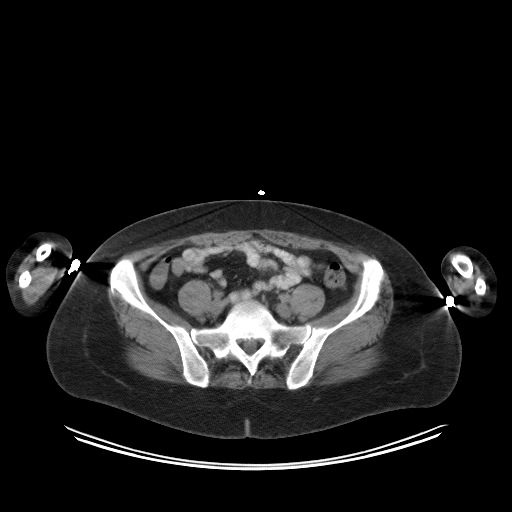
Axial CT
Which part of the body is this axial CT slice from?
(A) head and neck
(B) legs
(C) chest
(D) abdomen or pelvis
Answer: (D) abdomen or pelvis
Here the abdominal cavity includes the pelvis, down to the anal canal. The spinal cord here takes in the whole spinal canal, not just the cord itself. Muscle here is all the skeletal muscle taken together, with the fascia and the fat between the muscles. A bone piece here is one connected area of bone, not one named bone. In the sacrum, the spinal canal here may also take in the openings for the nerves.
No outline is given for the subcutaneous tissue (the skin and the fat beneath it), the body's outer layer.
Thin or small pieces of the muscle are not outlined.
The spinal cord is outlined by [[238,339],[240,340],[245,340],[246,341],[247,340],[258,340],[259,339],[262,339],[263,340],[263,343],[262,345],[260,346],[253,353],[251,354],[248,354],[243,349],[243,348],[241,347],[238,344],[237,342],[237,340]]. The torso is outlined by [[220,199],[315,205],[372,224],[402,243],[436,285],[441,296],[433,302],[447,309],[460,334],[461,366],[450,395],[435,406],[387,411],[301,435],[225,439],[175,429],[65,392],[47,364],[46,334],[78,272],[91,271],[88,257],[106,238],[137,220]]. The right arm is outlined by [[37,231],[56,231],[63,234],[71,243],[72,254],[70,257],[67,258],[62,257],[59,261],[59,265],[65,267],[65,272],[63,274],[57,291],[45,312],[35,318],[28,319],[21,316],[14,309],[11,303],[6,285],[5,268],[13,251],[30,234]]. The muscle appears in 7 outlined pieces: piece 1: [[246,229],[295,232],[356,246],[377,258],[369,256],[362,260],[358,295],[347,314],[331,326],[313,326],[300,321],[292,310],[289,302],[292,290],[306,283],[322,289],[325,301],[316,317],[345,303],[354,291],[356,275],[332,251],[284,246],[255,233],[235,242],[174,247],[150,263],[141,277],[146,294],[185,319],[192,326],[188,330],[182,325],[170,324],[152,308],[140,289],[134,261],[120,257],[170,239],[208,231]]; piece 2: [[383,266],[393,288],[394,306],[388,325],[383,332],[383,336],[379,339],[381,343],[380,349],[383,358],[382,360],[366,375],[339,383],[300,388],[306,386],[313,377],[318,356],[327,338],[341,327],[361,317],[375,305],[380,297],[382,283],[385,279]]; piece 3: [[108,276],[109,292],[112,296],[117,297],[130,306],[150,315],[171,334],[179,351],[182,366],[181,374],[185,381],[191,385],[183,385],[147,377],[132,369],[126,362],[124,355],[125,339],[116,323],[112,308],[107,298],[106,288],[108,284]]; piece 4: [[294,346],[300,347],[290,362],[285,375],[284,381],[287,389],[255,389],[251,387],[232,389],[208,386],[211,374],[208,363],[199,350],[199,348],[206,348],[217,359],[231,357],[241,363],[249,374],[246,381],[249,385],[259,363],[263,359],[282,358]]; piece 5: [[45,240],[53,240],[54,241],[60,242],[63,244],[63,248],[62,249],[62,252],[61,253],[61,256],[60,257],[60,260],[59,261],[59,265],[58,266],[58,274],[55,281],[50,285],[50,286],[47,289],[45,293],[33,305],[28,307],[24,304],[20,296],[20,294],[14,289],[14,287],[13,286],[14,276],[15,275],[15,273],[18,266],[23,260],[23,259],[42,241],[44,241]], around holes outlined by [[44,242],[49,242],[52,244],[52,247],[51,248],[51,252],[50,253],[50,254],[43,260],[42,260],[41,261],[37,261],[36,260],[36,256],[35,255],[35,254],[36,253],[36,250],[37,249],[38,246],[39,246],[42,243],[43,243]] and by [[24,270],[28,270],[29,271],[29,272],[30,273],[30,275],[31,276],[31,280],[30,281],[29,284],[26,287],[25,287],[24,288],[21,288],[20,287],[19,287],[19,284],[18,283],[18,280],[19,279],[19,276],[20,275],[20,274]]; piece 6: [[193,279],[203,280],[205,281],[210,287],[211,287],[211,300],[210,301],[210,308],[209,310],[207,312],[206,312],[203,315],[203,316],[201,317],[195,317],[194,316],[190,315],[180,306],[178,302],[178,291],[179,289],[186,282],[190,280],[192,280]]; piece 7: [[456,251],[463,252],[455,252],[451,255],[449,259],[451,265],[455,270],[462,277],[466,279],[472,278],[474,273],[473,261],[479,266],[479,268],[485,275],[486,282],[489,286],[489,295],[475,309],[471,308],[460,295],[448,272],[449,255],[452,252]]; inner edge: [[477,277],[481,277],[485,281],[485,283],[486,284],[486,289],[485,290],[485,293],[484,294],[484,295],[478,295],[476,293],[476,292],[475,291],[475,280],[476,279],[476,278]]. The left arm is outlined by [[457,245],[467,245],[481,251],[489,260],[495,271],[497,277],[497,298],[492,311],[483,319],[479,320],[471,319],[460,311],[458,308],[458,305],[465,304],[466,302],[460,295],[453,295],[451,293],[446,282],[441,275],[440,263],[443,256],[448,250]]. The abdominal cavity is outlined by [[254,234],[284,247],[335,254],[355,280],[350,297],[333,309],[316,316],[326,296],[321,287],[306,282],[292,289],[288,298],[303,324],[279,322],[263,303],[250,298],[234,303],[216,326],[195,327],[147,294],[142,274],[170,250],[184,245],[235,243]] with a hole at [[193,279],[203,280],[205,281],[210,287],[211,287],[211,300],[210,301],[210,308],[209,310],[207,312],[206,312],[203,315],[203,316],[201,317],[195,317],[194,316],[190,315],[180,306],[178,302],[178,291],[179,289],[186,282],[190,280],[192,280]]. The bones appear in 5 outlined pieces: piece 1: [[124,257],[151,308],[188,331],[216,327],[250,299],[279,323],[331,327],[358,298],[364,259],[377,259],[384,279],[374,305],[326,338],[306,385],[285,381],[299,345],[263,358],[249,384],[241,362],[199,347],[203,388],[183,376],[172,334],[111,294]] with a hole at [[238,339],[240,340],[245,340],[246,341],[247,340],[258,340],[259,339],[262,339],[263,340],[263,343],[262,345],[260,346],[253,353],[251,354],[248,354],[243,349],[243,348],[241,347],[238,344],[237,342],[237,340]]; piece 2: [[455,253],[463,253],[469,256],[469,257],[472,261],[472,265],[473,266],[473,273],[472,274],[472,277],[469,277],[468,278],[466,278],[462,276],[452,265],[452,263],[450,261],[450,259],[452,255],[453,255]]; piece 3: [[44,242],[49,242],[52,244],[52,247],[51,248],[51,252],[50,253],[50,254],[43,260],[42,260],[41,261],[37,261],[36,260],[36,256],[35,255],[35,254],[36,253],[36,250],[37,249],[38,246],[39,246],[42,243],[43,243]]; piece 4: [[24,270],[28,270],[29,271],[29,272],[30,273],[30,275],[31,276],[31,280],[30,281],[29,284],[26,287],[25,287],[24,288],[21,288],[20,287],[19,287],[19,284],[18,283],[18,280],[19,279],[19,276],[20,275],[20,274]]; piece 5: [[477,277],[481,277],[485,281],[485,283],[486,284],[486,289],[485,290],[485,293],[484,294],[484,295],[478,295],[476,293],[476,292],[475,291],[475,280],[476,279],[476,278]].